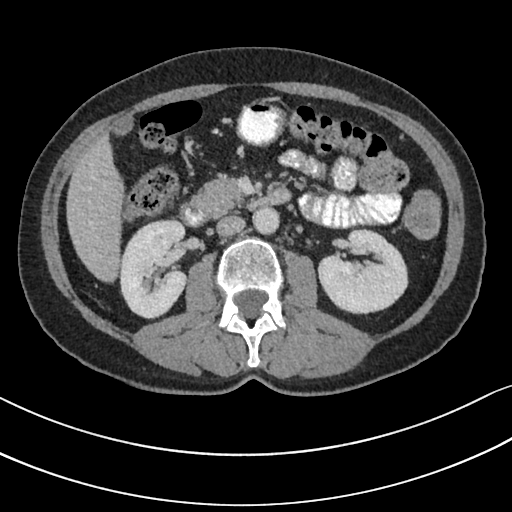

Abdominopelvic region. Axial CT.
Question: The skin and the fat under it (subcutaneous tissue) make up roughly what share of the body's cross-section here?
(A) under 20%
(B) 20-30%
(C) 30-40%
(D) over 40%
Answer: (B) 20-30%
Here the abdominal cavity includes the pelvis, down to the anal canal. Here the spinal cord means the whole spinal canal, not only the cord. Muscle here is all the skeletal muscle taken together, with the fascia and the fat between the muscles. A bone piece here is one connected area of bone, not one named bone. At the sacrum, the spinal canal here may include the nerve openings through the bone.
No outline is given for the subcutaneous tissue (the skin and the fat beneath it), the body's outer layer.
spinal cord: [[247,289],[257,289],[258,290],[262,290],[267,294],[267,299],[261,305],[260,307],[261,314],[256,318],[254,319],[250,319],[249,320],[247,320],[244,317],[240,315],[239,313],[239,308],[234,302],[234,300],[233,299],[234,295],[235,294]]
torso: [[232,46],[300,49],[380,75],[421,100],[460,142],[481,189],[487,251],[471,314],[439,352],[391,377],[330,395],[283,394],[255,379],[223,394],[176,395],[131,387],[90,369],[42,330],[20,282],[17,236],[27,179],[47,142],[107,86],[181,54]]
abdominal cavity: [[253,86],[370,110],[431,162],[445,249],[431,291],[393,327],[366,331],[319,308],[314,263],[290,249],[281,299],[278,255],[255,236],[222,250],[222,300],[217,252],[206,253],[188,269],[185,309],[135,330],[74,289],[58,212],[84,152],[137,112]]
muscle: [[278,81],[310,82],[311,83],[317,83],[318,84],[333,86],[350,91],[365,100],[385,105],[390,108],[395,109],[408,115],[411,118],[419,122],[432,134],[441,144],[452,160],[456,168],[460,180],[461,188],[463,192],[464,216],[465,217],[464,240],[463,241],[462,252],[456,273],[448,287],[437,299],[429,312],[418,323],[412,327],[376,344],[356,366],[350,370],[339,374],[331,376],[326,376],[325,377],[319,377],[318,378],[301,378],[297,375],[290,378],[280,379],[267,373],[262,369],[251,368],[245,371],[241,371],[239,373],[229,377],[220,377],[210,373],[205,373],[200,376],[195,377],[164,368],[149,360],[124,342],[94,327],[86,321],[78,310],[74,307],[69,300],[55,285],[48,271],[47,263],[44,256],[44,251],[42,247],[41,232],[40,231],[40,226],[41,225],[41,205],[42,204],[43,195],[49,177],[55,164],[57,162],[57,160],[61,154],[87,126],[99,119],[127,108],[147,97],[172,89],[180,88],[190,85],[196,85],[197,84],[236,83],[237,82],[277,82]] with a hole at [[253,86],[385,118],[423,150],[447,200],[435,283],[384,331],[319,308],[313,261],[282,251],[286,326],[262,335],[256,367],[247,365],[243,336],[218,326],[216,251],[189,267],[183,311],[131,330],[78,295],[58,228],[74,167],[120,120]]
bones: [[250,237],[269,243],[277,255],[283,276],[279,296],[282,301],[282,314],[286,324],[285,328],[278,327],[262,335],[258,345],[260,361],[256,367],[247,365],[248,345],[243,336],[218,326],[224,292],[216,283],[216,273],[223,250],[234,242]]; inner edge: [[247,289],[257,289],[258,290],[262,290],[267,294],[267,299],[261,305],[260,307],[261,314],[256,318],[254,319],[250,319],[249,320],[247,320],[244,317],[240,315],[239,313],[239,308],[234,302],[234,300],[233,299],[234,295],[235,294]]